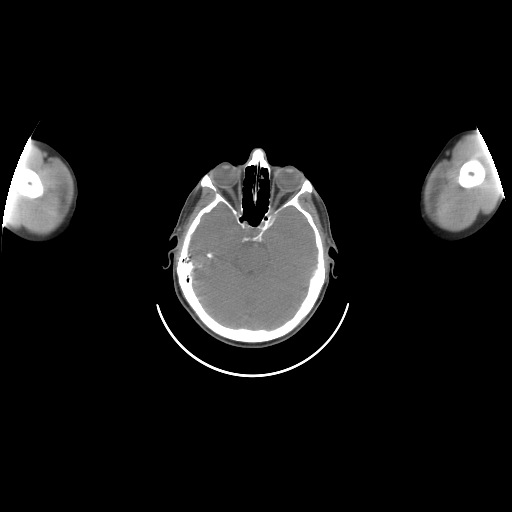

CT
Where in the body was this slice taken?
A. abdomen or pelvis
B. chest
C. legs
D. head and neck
D. head and neck
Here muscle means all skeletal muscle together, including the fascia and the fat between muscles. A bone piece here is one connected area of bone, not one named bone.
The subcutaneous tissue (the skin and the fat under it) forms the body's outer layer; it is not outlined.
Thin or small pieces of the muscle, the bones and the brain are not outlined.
The head is outlined by (256, 147) (263, 149) (271, 165) (298, 167) (322, 198) (338, 249) (338, 253) (329, 250) (337, 277) (329, 280) (321, 304) (293, 336) (267, 347) (242, 348) (223, 343) (198, 326) (175, 294) (172, 269) (162, 267) (177, 243) (169, 236) (190, 191) (214, 165) (243, 164); inner edge: (250, 166) (254, 167) (254, 170) (251, 173) (254, 180) (250, 189) (252, 204) (254, 206) (257, 204) (258, 192) (261, 189) (259, 180) (265, 177) (261, 170) (266, 170) (269, 181) (269, 197) (267, 208) (255, 225) (251, 224) (245, 218) (243, 218) (243, 182) (246, 168). The muscle appears in 4 outlined pieces: piece 1: (472, 132) (473, 133) (478, 133) (479, 132) (487, 146) (499, 176) (502, 188) (502, 193) (498, 198) (498, 201) (494, 210) (477, 224) (458, 232) (452, 232) (439, 227) (426, 215) (423, 205) (423, 191) (430, 173) (442, 158) (445, 152) (448, 149) (450, 149) (463, 135) with a hole at (471, 158) (475, 158) (476, 159) (480, 160) (480, 162) (482, 165) (482, 168) (483, 169) (483, 173) (484, 174) (484, 183) (483, 183) (481, 185) (475, 186) (471, 188) (463, 188) (461, 186) (460, 186) (457, 182) (457, 177) (459, 173) (459, 169) (460, 167) (467, 160); piece 2: (27, 142) (40, 146) (58, 157) (68, 168) (74, 182) (74, 199) (67, 216) (54, 231) (44, 236) (34, 235) (24, 230) (14, 230) (4, 223) (3, 218) (13, 176) (16, 192) (21, 196) (33, 200) (42, 197) (45, 193) (41, 176) (34, 169) (20, 167) (15, 170); piece 3: (314, 190) (317, 193) (322, 206) (322, 211) (321, 212) (323, 214) (323, 226) (326, 233) (326, 238) (327, 239) (325, 243) (325, 249) (323, 244) (323, 240) (320, 235) (320, 232) (314, 221) (312, 215) (302, 206) (300, 202) (301, 195) (305, 193) (309, 193) (310, 194); piece 4: (199, 187) (210, 189) (213, 192) (213, 197) (211, 200) (210, 200) (197, 212) (189, 224) (187, 229) (184, 232) (182, 239) (181, 232) (180, 231) (180, 227) (182, 225) (185, 215) (188, 211) (188, 208) (190, 206) (190, 204) (194, 198) (194, 195). The bones appear in 4 outlined pieces: piece 1: (205, 174) (235, 208) (241, 201) (242, 218) (253, 226) (270, 197) (276, 209) (305, 179) (313, 187) (299, 202) (322, 240) (325, 278) (308, 313) (279, 337) (247, 342) (222, 336) (199, 318) (182, 293) (176, 269) (180, 246) (198, 212) (214, 197) (210, 188) (199, 184), around a hole outlined by (219, 203) (230, 210) (242, 229) (255, 232) (244, 236) (245, 242) (261, 242) (276, 215) (289, 206) (294, 207) (311, 228) (316, 255) (306, 293) (294, 313) (279, 325) (251, 328) (223, 324) (206, 310) (193, 287) (195, 270) (202, 265) (190, 253) (192, 237) (202, 217); piece 2: (20, 168) (32, 169) (38, 174) (39, 174) (40, 178) (44, 186) (44, 193) (42, 196) (38, 197) (37, 198) (30, 199) (29, 198) (25, 197) (23, 195) (21, 195) (18, 192) (17, 192) (16, 186) (14, 184) (14, 176) (13, 174) (14, 173) (14, 171) (18, 170); piece 3: (256, 147) (263, 149) (265, 152) (267, 161) (271, 166) (271, 171) (268, 177) (265, 168) (260, 170) (264, 177) (258, 180) (260, 189) (257, 192) (256, 204) (254, 205) (251, 189) (255, 180) (252, 174) (255, 167) (253, 165) (247, 166) (244, 171) (244, 163) (251, 151); piece 4: (471, 158) (475, 158) (476, 159) (480, 160) (480, 162) (482, 165) (482, 168) (483, 169) (483, 173) (484, 174) (484, 183) (483, 183) (481, 185) (475, 186) (471, 188) (463, 188) (461, 186) (460, 186) (457, 182) (457, 177) (459, 173) (459, 169) (460, 167) (467, 160). The left arm is outlined by (473, 127) (475, 127) (482, 136) (482, 138) (484, 140) (492, 157) (501, 183) (504, 200) (493, 217) (477, 232) (460, 240) (445, 241) (432, 235) (422, 222) (419, 213) (419, 206) (418, 205) (419, 204) (420, 188) (430, 165) (444, 144) (454, 134) (462, 130) (469, 129). The right arm is outlined by (30, 137) (32, 140) (34, 138) (42, 140) (48, 143) (57, 150) (72, 166) (78, 184) (77, 205) (69, 227) (58, 238) (52, 241) (43, 243) (35, 243) (24, 240) (10, 232) (3, 225) (4, 222) (3, 218) (4, 210) (10, 183) (19, 158) (26, 143). The brain is outlined by (219, 203) (230, 210) (242, 229) (255, 232) (244, 236) (245, 242) (261, 242) (276, 215) (289, 206) (294, 207) (311, 228) (316, 255) (306, 293) (294, 313) (279, 325) (251, 328) (223, 324) (206, 310) (193, 287) (195, 270) (202, 265) (190, 253) (192, 237) (202, 217).